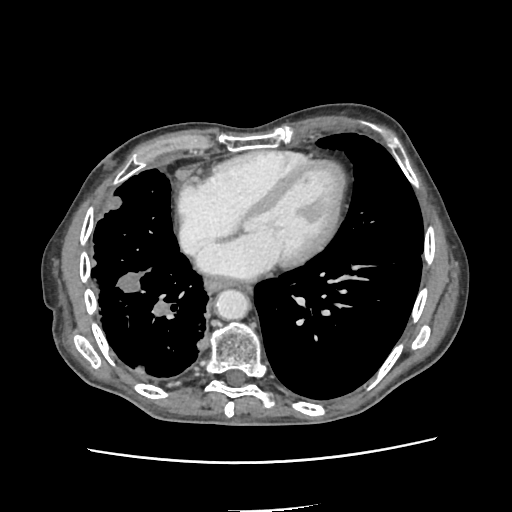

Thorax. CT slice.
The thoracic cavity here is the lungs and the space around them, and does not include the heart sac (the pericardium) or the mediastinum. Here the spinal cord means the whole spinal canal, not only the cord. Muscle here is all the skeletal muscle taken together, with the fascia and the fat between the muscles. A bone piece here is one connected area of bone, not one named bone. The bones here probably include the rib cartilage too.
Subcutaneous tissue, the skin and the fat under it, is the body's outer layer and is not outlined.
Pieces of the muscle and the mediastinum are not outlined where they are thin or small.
Outlined structures:
thoracic cavity 1: 322 404; 347 397; 370 381; 407 322; 421 276; 424 230; 413 189; 385 148; 356 133; 336 134; 317 141; 319 146; 343 150; 353 164; 352 198; 336 235; 321 253; 303 266; 261 281; 255 287; 262 359; 271 378; 290 395
thoracic cavity 2: 164 389; 195 378; 208 360; 209 334; 205 330; 203 315; 207 295; 199 274; 178 251; 170 218; 168 178; 158 169; 150 168; 130 177; 120 186; 114 186; 104 200; 91 239; 90 281; 98 298; 99 325; 110 345; 110 356; 139 381
torso: 229 426; 319 424; 359 414; 435 363; 462 323; 469 293; 464 246; 407 132; 396 119; 376 107; 356 102; 325 103; 252 127; 186 121; 138 133; 91 169; 44 247; 41 286; 44 304; 53 314; 54 343; 83 381; 126 399; 159 420
bones 1: 227 417; 233 415; 232 399; 238 396; 253 395; 267 408; 275 404; 272 393; 255 382; 267 372; 261 359; 261 341; 252 328; 240 322; 220 326; 211 333; 210 357; 205 366; 206 372; 215 376; 204 390; 219 391; 231 399; 224 407; inner edge: 231 386; 242 386; 246 383; 247 383; 249 381; 249 380; 248 378; 245 375; 245 374; 242 371; 240 370; 238 370; 237 369; 232 369; 231 370; 228 370; 226 371; 221 376; 221 377; 226 382; 226 383; 228 385; 230 385
bones 2: 115 186; 120 185; 130 176; 147 168; 147 163; 161 154; 177 149; 188 150; 194 154; 199 154; 205 149; 209 148; 211 143; 208 138; 201 135; 183 135; 157 141; 153 144; 145 146; 132 154; 124 167; 116 175; 113 180; 113 184
bones 3: 229 151; 239 151; 242 149; 247 149; 254 147; 277 147; 281 144; 288 145; 295 136; 296 131; 293 127; 289 125; 283 125; 276 127; 269 133; 260 135; 236 136; 228 134; 225 132; 221 132; 216 136; 216 140; 220 144; 223 144
bones 4: 414 188; 418 188; 420 184; 411 167; 406 152; 397 136; 391 133; 387 129; 381 127; 375 123; 366 120; 360 120; 359 122; 361 124; 369 127; 372 130; 378 133; 384 139; 386 142; 386 145; 390 150; 391 154; 394 157; 403 173
bones 5: 94 368; 98 368; 101 364; 101 359; 100 358; 100 356; 98 352; 92 345; 92 344; 91 344; 90 342; 84 336; 80 335; 79 334; 76 334; 74 335; 73 337; 73 341; 74 342; 74 344; 75 345; 76 349; 90 363; 91 366
bones 6: 366 390; 370 390; 374 386; 375 386; 388 372; 388 371; 394 364; 396 360; 399 357; 404 346; 403 342; 399 342; 393 347; 392 350; 390 352; 386 359; 378 369; 377 371; 377 375; 375 379; 372 383; 369 384; 366 387
bones 7: 112 366; 115 366; 115 363; 108 354; 108 347; 109 345; 106 340; 105 335; 102 331; 101 328; 98 325; 98 324; 95 321; 92 321; 91 322; 91 329; 94 335; 94 337; 95 338; 97 346; 99 350; 103 355; 103 356
bones 8: 153 399; 166 397; 168 395; 168 393; 166 391; 165 391; 161 387; 157 386; 156 385; 154 385; 153 384; 151 384; 150 383; 143 383; 142 382; 139 382; 138 381; 134 383; 133 387; 138 393; 146 397; 152 398
bones 9: 428 265; 430 265; 431 264; 431 263; 433 260; 433 257; 434 256; 434 252; 435 251; 435 237; 434 236; 434 229; 433 228; 433 226; 432 225; 429 225; 426 228; 426 229; 425 230; 425 232; 424 233; 424 258; 425 259; 425 261
bones 10: 83 246; 85 245; 88 238; 92 234; 92 231; 94 227; 94 208; 92 205; 90 205; 88 207; 86 211; 86 213; 85 214; 85 216; 83 220; 82 227; 81 228; 81 232; 80 233; 80 243; 81 245
bones 11: 312 416; 318 416; 319 415; 323 415; 326 412; 326 409; 323 405; 321 404; 313 403; 312 402; 308 402; 307 401; 302 401; 301 400; 299 400; 298 401; 296 401; 292 403; 291 405; 294 409; 298 411; 300 411; 302 413; 308 414
bones 12: 414 323; 415 323; 418 320; 423 310; 423 308; 425 304; 425 301; 426 300; 426 298; 427 297; 427 293; 428 292; 428 289; 426 286; 421 288; 419 290; 417 294; 417 296; 416 297; 411 314; 410 315; 412 319; 412 321
bones 13: 84 283; 86 283; 86 282; 87 281; 87 280; 90 277; 90 258; 89 257; 89 256; 88 255; 88 253; 85 250; 83 250; 81 252; 81 254; 80 255; 80 262; 79 263; 79 272; 80 273; 80 277; 81 278; 81 280
bones 14: 412 349; 416 349; 417 348; 420 348; 421 347; 423 347; 425 345; 425 344; 427 342; 427 341; 429 338; 429 335; 430 334; 430 328; 428 325; 426 325; 425 324; 421 327; 418 334; 413 340; 413 341; 411 344; 411 348
bones 15: 90 315; 92 315; 98 309; 98 304; 97 303; 97 298; 96 297; 96 296; 94 294; 94 293; 93 292; 93 291; 89 287; 87 287; 84 290; 84 300; 85 301; 85 304; 86 305; 86 309; 87 310; 87 312
spinal cord: 231 386; 242 386; 246 383; 247 383; 249 381; 249 380; 248 379; 248 378; 245 375; 245 374; 242 371; 241 371; 240 370; 238 370; 237 369; 232 369; 231 370; 228 370; 227 371; 226 371; 222 375; 222 378; 228 385; 230 385
mediastinum 1: 261 340; 259 318; 254 305; 253 295; 255 285; 256 284; 259 281; 263 280; 260 280; 252 283; 235 278; 199 273; 203 281; 204 289; 208 295; 208 300; 204 313; 206 318; 207 332; 210 334; 215 328; 220 325; 225 325; 231 321; 240 321; 252 327
mediastinum 2: 343 220; 348 209; 352 192; 352 164; 343 151; 337 149; 332 150; 328 148; 322 148; 316 144; 316 141; 319 138; 329 136; 323 134; 306 140; 295 146; 280 146; 273 148; 303 147; 322 154; 333 156; 345 166; 349 179; 349 190
mediastinum 3: 175 235; 173 228; 173 213; 172 212; 173 211; 171 206; 172 205; 171 175; 181 165; 193 163; 202 159; 208 159; 218 154; 225 153; 202 154; 176 160; 163 166; 161 165; 154 167; 164 172; 169 178; 171 184; 171 218; 172 219; 173 224; 173 232
pericardium: 252 282; 273 277; 303 265; 321 252; 335 235; 341 223; 346 205; 348 179; 344 166; 333 157; 303 148; 254 148; 239 152; 221 154; 208 160; 184 165; 178 168; 172 175; 174 228; 180 250; 188 257; 194 268; 201 273; 235 277
muscle 1: 234 419; 313 419; 355 409; 429 355; 449 328; 459 295; 457 261; 447 241; 433 194; 402 140; 387 125; 344 115; 307 117; 280 125; 289 124; 297 131; 289 145; 323 133; 356 132; 367 135; 389 151; 383 139; 361 125; 360 119; 387 128; 402 142; 421 184; 414 191; 422 211; 424 229; 429 224; 434 226; 436 251; 432 264; 428 266; 423 250; 419 289; 426 285; 428 297; 419 320; 414 324; 410 317; 397 342; 405 344; 400 357; 370 391; 366 391; 365 387; 347 398; 324 405; 327 412; 318 417; 294 410; 290 405; 298 400; 282 391; 268 372; 256 382; 262 389; 273 393; 276 404; 267 409; 253 396; 235 398; inner edge: 412 349; 416 349; 417 348; 420 348; 421 347; 423 347; 425 345; 425 344; 427 342; 427 341; 429 338; 429 335; 430 334; 430 328; 428 325; 426 325; 425 324; 421 327; 418 334; 413 340; 413 341; 411 344; 411 348
muscle 2: 220 418; 226 418; 223 413; 223 407; 230 399; 222 393; 205 392; 203 390; 207 382; 214 376; 207 374; 204 369; 195 379; 165 390; 169 393; 166 398; 153 400; 138 394; 133 389; 132 385; 137 380; 129 372; 116 364; 115 367; 112 367; 102 356; 90 329; 90 322; 92 320; 98 323; 97 312; 90 316; 86 312; 83 300; 83 290; 87 286; 91 288; 90 282; 89 279; 84 284; 80 280; 78 272; 80 252; 85 249; 91 258; 91 236; 83 247; 79 243; 79 233; 87 207; 90 204; 94 206; 95 221; 103 200; 113 186; 113 178; 131 154; 141 147; 172 136; 201 134; 208 137; 212 143; 212 146; 202 153; 225 152; 228 151; 225 147; 215 140; 215 136; 219 132; 225 131; 236 135; 260 134; 269 132; 275 127; 265 131; 251 133; 226 131; 217 127; 190 128; 167 132; 142 141; 126 155; 78 206; 73 213; 60 246; 51 259; 53 283; 60 307; 60 331; 64 347; 93 378; 121 388; 144 403; 164 412; 178 415, around a hole outlined by 94 368; 98 368; 101 364; 101 359; 100 358; 100 356; 98 352; 92 345; 92 344; 91 344; 90 342; 84 336; 80 335; 79 334; 76 334; 74 335; 73 337; 73 341; 74 342; 74 344; 75 345; 76 349; 90 363; 91 366
muscle 3: 148 168; 153 167; 154 166; 157 166; 161 164; 163 165; 176 159; 184 158; 192 155; 196 155; 194 155; 188 151; 181 151; 180 150; 177 150; 176 151; 174 151; 170 153; 166 153; 163 155; 159 156; 152 162; 148 163